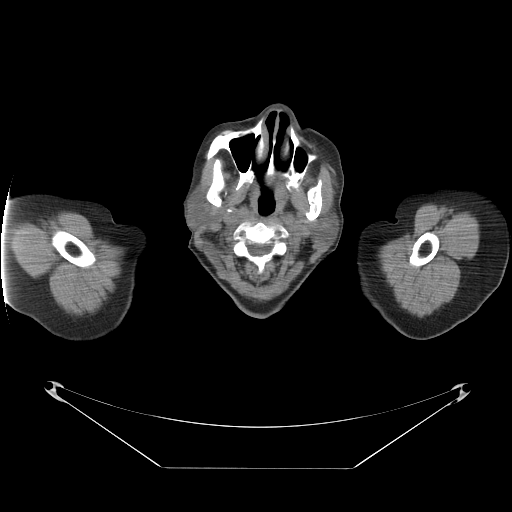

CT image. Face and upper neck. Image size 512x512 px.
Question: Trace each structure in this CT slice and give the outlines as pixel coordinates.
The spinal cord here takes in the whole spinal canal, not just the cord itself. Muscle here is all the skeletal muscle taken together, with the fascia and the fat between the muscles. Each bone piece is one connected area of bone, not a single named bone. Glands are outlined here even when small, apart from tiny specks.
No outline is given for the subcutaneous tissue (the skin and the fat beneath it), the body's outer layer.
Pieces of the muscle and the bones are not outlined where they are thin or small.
Answer: The left arm is outlined by (441, 187) (475, 189) (485, 194) (497, 205) (508, 224) (509, 257) (499, 286) (474, 314) (436, 337) (426, 340) (412, 339) (404, 336) (384, 321) (362, 295) (355, 264) (356, 242) (360, 231) (366, 225) (377, 220) (394, 222) (396, 207) (406, 196) (413, 193) (429, 192). The spinal cord is outlined by (247, 244) (269, 244) (270, 245) (271, 245) (271, 248) (270, 249) (270, 250) (269, 251) (269, 252) (268, 252) (267, 253) (265, 253) (264, 254) (263, 254) (262, 255) (252, 255) (249, 252) (249, 251) (248, 250) (248, 247) (247, 246). The muscle appears in 3 outlined pieces: piece 1: (241, 126) (252, 126) (245, 129) (235, 130) (234, 129) (229, 129) (226, 128) (225, 129) (224, 129) (223, 129) (219, 133) (215, 135) (205, 154) (208, 161) (222, 149) (228, 153) (237, 169) (237, 190) (276, 174) (286, 180) (287, 190) (299, 188) (318, 157) (300, 147) (294, 127) (329, 156) (338, 184) (334, 204) (310, 229) (312, 240) (331, 245) (286, 291) (263, 302) (238, 294) (220, 279) (194, 244) (198, 227) (214, 216) (208, 202) (221, 207) (226, 186) (217, 157) (203, 194) (199, 182) (206, 143) (219, 130) (225, 128) (229, 128) (230, 127) with holes at (244, 221) (248, 221) (251, 224) (260, 221) (267, 225) (280, 224) (289, 234) (282, 239) (286, 244) (285, 252) (282, 255) (275, 255) (266, 262) (261, 273) (257, 272) (258, 268) (253, 262) (245, 257) (237, 256) (233, 250) (236, 242) (233, 238) (233, 233) (237, 226) and at (319, 178) (320, 178) (322, 181) (322, 183) (321, 184) (322, 206) (321, 207) (321, 210) (319, 215) (314, 220) (310, 221) (308, 220) (305, 215) (306, 212) (307, 212) (309, 209) (309, 203) (307, 198) (307, 190) (309, 188) (314, 186) (317, 183) and at (262, 186) (265, 187) (268, 190) (269, 190) (270, 192) (271, 192) (273, 196) (273, 199) (274, 200) (274, 207) (273, 208) (273, 210) (271, 212) (269, 213) (266, 213) (265, 214) (263, 213) (260, 213) (259, 211) (259, 208) (258, 207) (258, 198) (261, 194); piece 2: (428, 202) (447, 206) (454, 205) (462, 210) (473, 212) (481, 225) (480, 241) (476, 255) (469, 267) (466, 280) (452, 300) (431, 315) (418, 318) (402, 309) (395, 301) (391, 288) (384, 281) (384, 277) (378, 269) (375, 255) (378, 247) (398, 237) (409, 223) (416, 209); inner edge: (428, 231) (431, 231) (433, 232) (438, 237) (439, 239) (439, 247) (438, 248) (438, 250) (433, 257) (433, 258) (427, 263) (418, 267) (416, 266) (413, 266) (409, 263) (409, 256) (412, 251) (412, 247) (413, 246) (413, 244) (415, 242) (415, 241) (422, 234); piece 3: (57, 210) (71, 210) (84, 215) (93, 228) (112, 238) (119, 245) (127, 248) (123, 258) (122, 273) (117, 281) (117, 288) (94, 314) (85, 314) (83, 316) (67, 314) (55, 303) (53, 298) (40, 283) (25, 273) (12, 257) (9, 248) (9, 231) (21, 220) (50, 214) with a hole at (58, 230) (62, 230) (63, 231) (68, 232) (74, 235) (80, 240) (81, 240) (94, 254) (96, 258) (96, 260) (94, 262) (94, 263) (93, 263) (88, 267) (80, 267) (68, 261) (65, 258) (64, 258) (52, 245) (52, 242) (51, 241) (51, 237) (52, 235) (56, 231). The head and neck is outlined by (273, 102) (287, 104) (302, 126) (323, 134) (338, 149) (344, 176) (340, 202) (344, 223) (335, 250) (309, 275) (284, 307) (267, 318) (257, 318) (242, 312) (198, 263) (187, 246) (191, 232) (179, 213) (190, 184) (193, 162) (205, 134) (217, 124) (254, 116); inner edges: (249, 134) (252, 134) (255, 139) (257, 138) (257, 141) (253, 149) (253, 156) (255, 163) (258, 165) (261, 165) (267, 160) (267, 165) (263, 174) (261, 183) (256, 176) (256, 172) (253, 169) (252, 161) (248, 164) (247, 168) (244, 171) (239, 169) (230, 146) (232, 140), then (281, 112) (285, 114) (288, 120) (288, 124) (285, 128) (284, 135) (281, 141) (281, 144) (279, 148) (279, 155) (281, 159) (284, 161) (287, 161) (288, 162) (287, 167) (285, 170) (278, 169) (275, 165) (275, 150) (274, 148) (277, 141) (277, 133) (279, 127) (279, 115), then (262, 186) (265, 187) (268, 190) (269, 190) (270, 192) (271, 192) (273, 196) (273, 199) (274, 200) (274, 207) (273, 208) (273, 210) (271, 212) (269, 213) (266, 213) (265, 214) (263, 213) (260, 213) (259, 211) (259, 208) (258, 207) (258, 198) (261, 194), then (273, 111) (276, 112) (276, 116) (274, 121) (274, 127) (273, 128) (273, 131) (272, 132) (272, 138) (270, 143) (272, 147) (271, 146) (270, 148) (269, 146) (270, 145) (270, 141) (269, 140) (269, 133) (268, 132) (268, 128) (265, 122) (269, 114), then (298, 148) (300, 148) (302, 150) (303, 150) (303, 151) (305, 152) (305, 154) (306, 155) (306, 161) (305, 162) (305, 164) (303, 166) (302, 169) (300, 170) (298, 170) (296, 169) (295, 167) (295, 156) (296, 155) (296, 153) (297, 152) (297, 149). The parotid glands appear in 2 outlined pieces: piece 1: (198, 183) (202, 191) (202, 194) (205, 200) (207, 202) (210, 208) (210, 211) (212, 212) (213, 216) (212, 218) (208, 219) (202, 222) (197, 227) (194, 233) (194, 230) (187, 216) (187, 203) (188, 202) (188, 199) (190, 195) (192, 193) (192, 192) (194, 190); piece 2: (333, 205) (334, 205) (334, 209) (338, 219) (338, 227) (337, 228) (337, 231) (335, 237) (332, 243) (331, 244) (328, 242) (321, 242) (312, 239) (311, 237) (311, 229) (314, 223) (316, 220) (317, 220) (324, 213) (324, 212) (326, 211) (326, 210) (329, 209). The bones appear in 6 outlined pieces: piece 1: (262, 117) (270, 149) (278, 120) (273, 148) (278, 170) (285, 171) (289, 164) (280, 155) (289, 124) (300, 143) (294, 156) (295, 169) (303, 169) (307, 153) (317, 157) (308, 165) (297, 189) (287, 189) (287, 180) (278, 173) (264, 175) (268, 160) (256, 163) (254, 149) (258, 138) (252, 133) (236, 137) (229, 144) (239, 170) (244, 172) (252, 162) (256, 177) (252, 183) (236, 188) (238, 169) (225, 149) (206, 158) (212, 140) (223, 130) (245, 130); piece 2: (244, 221) (248, 221) (251, 224) (260, 221) (267, 225) (280, 224) (289, 234) (282, 239) (286, 244) (285, 252) (282, 255) (275, 255) (266, 262) (261, 273) (257, 272) (258, 268) (253, 262) (245, 257) (237, 256) (233, 250) (236, 242) (233, 238) (233, 233) (237, 226); inner edge: (247, 244) (269, 244) (270, 245) (271, 245) (271, 248) (270, 249) (270, 250) (269, 251) (269, 252) (268, 252) (267, 253) (265, 253) (264, 254) (263, 254) (262, 255) (252, 255) (249, 252) (249, 251) (248, 250) (248, 247) (247, 246); piece 3: (58, 230) (62, 230) (63, 231) (68, 232) (74, 235) (80, 240) (81, 240) (94, 254) (96, 258) (96, 260) (94, 262) (94, 263) (93, 263) (88, 267) (80, 267) (68, 261) (65, 258) (64, 258) (52, 245) (52, 242) (51, 241) (51, 237) (52, 235) (56, 231); piece 4: (428, 231) (431, 231) (433, 232) (438, 237) (439, 239) (439, 247) (438, 248) (438, 250) (433, 257) (433, 258) (427, 263) (418, 267) (416, 266) (413, 266) (409, 263) (409, 256) (412, 251) (412, 247) (413, 246) (413, 244) (415, 242) (415, 241) (422, 234); piece 5: (217, 158) (219, 159) (221, 162) (221, 171) (225, 182) (225, 186) (220, 193) (220, 196) (222, 199) (222, 203) (221, 204) (221, 206) (219, 207) (217, 207) (213, 204) (210, 203) (206, 199) (206, 193) (212, 182) (213, 164) (215, 159); piece 6: (319, 178) (320, 178) (322, 181) (322, 183) (321, 184) (322, 206) (321, 207) (321, 210) (319, 215) (314, 220) (310, 221) (308, 220) (305, 215) (306, 212) (307, 212) (309, 209) (309, 203) (307, 198) (307, 190) (309, 188) (314, 186) (317, 183). The right arm is outlined by (33, 191) (51, 192) (66, 197) (96, 201) (110, 210) (115, 222) (139, 225) (148, 235) (149, 244) (138, 266) (131, 306) (119, 326) (100, 338) (88, 341) (61, 338) (50, 333) (32, 318) (17, 312) (5, 301) (1, 233) (7, 199) (8, 196) (10, 199) (17, 193).